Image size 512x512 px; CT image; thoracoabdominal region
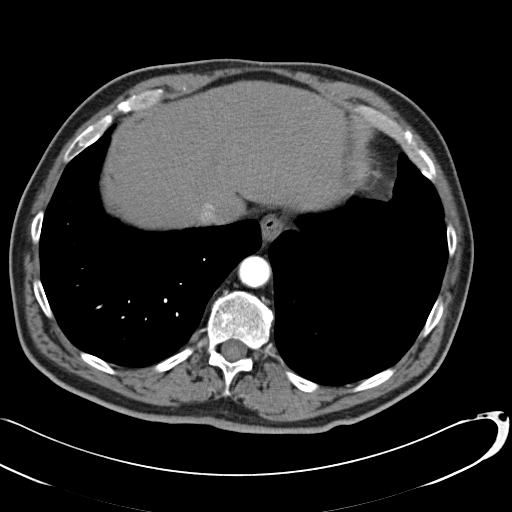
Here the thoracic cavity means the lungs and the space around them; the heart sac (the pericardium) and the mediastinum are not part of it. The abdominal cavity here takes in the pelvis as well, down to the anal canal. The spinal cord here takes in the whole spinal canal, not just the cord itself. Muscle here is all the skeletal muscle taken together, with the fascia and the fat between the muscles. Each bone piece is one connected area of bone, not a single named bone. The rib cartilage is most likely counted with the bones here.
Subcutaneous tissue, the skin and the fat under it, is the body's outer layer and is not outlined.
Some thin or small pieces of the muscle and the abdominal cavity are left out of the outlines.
The abdominal cavity is outlined by [[256,71],[273,72],[305,84],[347,105],[379,131],[373,147],[381,171],[369,188],[359,191],[359,198],[352,197],[342,207],[323,213],[299,216],[284,210],[265,210],[222,225],[169,231],[130,228],[105,213],[98,180],[116,119],[165,96]]. The spinal cord is outlined by [[229,339],[235,339],[236,340],[239,340],[241,342],[242,342],[247,347],[247,349],[248,350],[247,351],[247,355],[245,357],[237,359],[234,361],[229,361],[227,359],[226,359],[220,352],[220,348],[221,347],[222,343],[223,343],[225,341]]. The bones appear in 10 outlined pieces: piece 1: [[236,290],[255,295],[273,310],[270,340],[283,364],[266,351],[264,344],[255,352],[252,369],[240,371],[233,377],[229,396],[222,394],[225,386],[222,371],[208,363],[206,345],[168,370],[157,372],[152,368],[193,344],[192,338],[206,324],[212,302]]; inner edge: [[229,339],[235,339],[236,340],[239,340],[241,342],[242,342],[247,347],[247,349],[248,350],[247,351],[247,355],[245,357],[237,359],[234,361],[229,361],[227,359],[226,359],[220,352],[220,348],[221,347],[222,343],[223,343],[225,341]]; piece 2: [[349,105],[370,106],[395,120],[404,130],[409,130],[411,132],[412,137],[416,142],[417,146],[422,149],[429,156],[433,162],[436,173],[434,182],[433,183],[420,171],[408,157],[395,139],[374,127],[368,121],[364,119],[359,113],[352,110]]; piece 3: [[157,88],[162,88],[164,90],[160,99],[141,109],[132,110],[126,113],[115,113],[113,115],[114,118],[112,123],[94,142],[83,149],[67,163],[63,161],[64,154],[70,144],[89,125],[93,124],[104,115],[111,113],[119,102],[129,96],[144,90]]; piece 4: [[439,295],[441,296],[442,298],[442,300],[443,301],[443,306],[444,307],[443,308],[443,312],[438,322],[436,324],[436,325],[430,331],[430,332],[425,337],[418,337],[418,335],[423,328],[426,322],[426,320],[431,311],[431,309],[437,297]]; piece 5: [[390,367],[394,368],[395,370],[393,374],[385,381],[382,382],[380,384],[376,386],[374,386],[367,389],[364,389],[363,390],[360,390],[359,391],[356,391],[355,392],[352,392],[350,391],[350,390],[354,386],[358,384],[362,380],[366,379]]; piece 6: [[36,278],[39,278],[41,281],[41,284],[43,290],[45,293],[47,301],[49,304],[49,306],[51,309],[54,318],[49,318],[45,315],[39,303],[36,299],[33,290],[33,286],[32,285],[33,280]]; piece 7: [[286,370],[291,370],[299,376],[305,379],[307,379],[310,381],[312,381],[315,383],[317,383],[319,385],[319,388],[311,392],[307,392],[306,391],[303,391],[299,389],[297,387],[296,387],[287,378],[285,374],[285,371]]; piece 8: [[81,351],[83,351],[84,352],[89,353],[109,363],[110,365],[116,371],[116,373],[115,374],[110,374],[104,371],[99,370],[95,368],[93,366],[90,365],[88,363],[84,361],[81,358],[80,356],[80,352]]; piece 9: [[39,210],[42,210],[43,211],[44,211],[44,213],[43,214],[43,219],[42,220],[42,223],[41,224],[41,230],[40,231],[40,235],[39,236],[39,241],[37,244],[35,244],[32,242],[32,239],[31,238],[31,223],[32,222],[32,219]]; piece 10: [[448,223],[451,223],[452,224],[452,225],[453,226],[453,227],[455,230],[455,233],[456,234],[456,246],[455,247],[455,251],[454,252],[453,255],[451,257],[449,257],[449,256],[448,255],[448,247],[447,246],[447,237],[446,236],[446,225]]. The torso is outlined by [[222,57],[322,62],[377,78],[428,114],[452,156],[474,240],[471,280],[457,329],[443,361],[420,387],[355,423],[316,433],[266,434],[140,419],[54,383],[30,362],[20,345],[9,282],[10,235],[21,195],[57,130],[86,97],[123,73],[152,65]]. The mediastinum appears in 2 outlined pieces: piece 1: [[265,211],[284,211],[298,216],[298,230],[284,229],[281,231],[270,243],[267,251],[273,273],[273,309],[255,294],[239,289],[226,292],[212,301],[211,298],[214,292],[230,272],[242,260],[253,254],[260,247],[261,227],[257,219],[251,219],[251,215]]; piece 2: [[378,132],[381,132],[395,140],[403,151],[399,153],[397,158],[397,174],[393,183],[393,198],[389,202],[378,202],[360,198],[360,191],[364,189],[369,189],[372,184],[375,182],[377,176],[382,171],[382,162],[378,156],[378,152],[374,147],[374,142]]. The muscle is outlined by [[245,66],[275,67],[276,68],[285,68],[292,71],[308,72],[322,78],[357,84],[371,89],[377,93],[385,99],[399,113],[419,134],[422,139],[432,150],[450,187],[462,228],[462,234],[461,235],[462,237],[461,241],[462,251],[460,260],[460,268],[457,277],[456,291],[454,299],[449,310],[449,313],[447,316],[447,319],[445,322],[445,327],[443,330],[443,334],[439,348],[428,366],[416,376],[380,396],[347,408],[300,420],[294,420],[293,421],[270,420],[258,415],[250,409],[227,397],[226,398],[222,397],[211,401],[204,401],[203,403],[182,404],[179,406],[156,405],[127,397],[109,388],[88,380],[73,372],[68,371],[44,355],[35,346],[30,336],[25,319],[24,297],[21,289],[21,269],[22,268],[22,240],[23,239],[24,228],[27,222],[27,215],[61,149],[74,134],[76,130],[85,121],[89,119],[100,109],[111,103],[126,90],[143,80],[155,76],[160,76],[167,74],[178,74],[179,73],[198,72],[199,71],[212,71],[222,68],[244,67]]; inner edge: [[256,71],[295,80],[348,106],[370,106],[409,130],[429,156],[443,221],[456,234],[438,292],[444,307],[438,322],[391,366],[388,379],[355,392],[350,390],[360,380],[299,389],[265,344],[252,369],[233,377],[229,396],[222,394],[222,371],[208,363],[206,345],[162,372],[151,365],[111,363],[115,374],[95,368],[45,315],[32,285],[40,277],[32,219],[50,201],[66,150],[133,94],[162,88],[163,97],[177,96]]. The thoracic cavity appears in 2 outlined pieces: piece 1: [[401,152],[432,183],[442,206],[448,257],[438,295],[417,337],[393,365],[343,385],[319,384],[290,369],[274,349],[271,340],[275,319],[274,273],[268,253],[270,245],[281,232],[298,231],[301,216],[335,211],[352,198],[378,203],[391,202]]; piece 2: [[113,122],[115,127],[97,180],[99,199],[107,216],[127,228],[144,232],[222,226],[246,219],[257,220],[260,227],[259,247],[242,259],[213,292],[205,324],[180,350],[143,367],[110,363],[74,345],[58,324],[40,278],[42,224],[57,183],[66,165]].